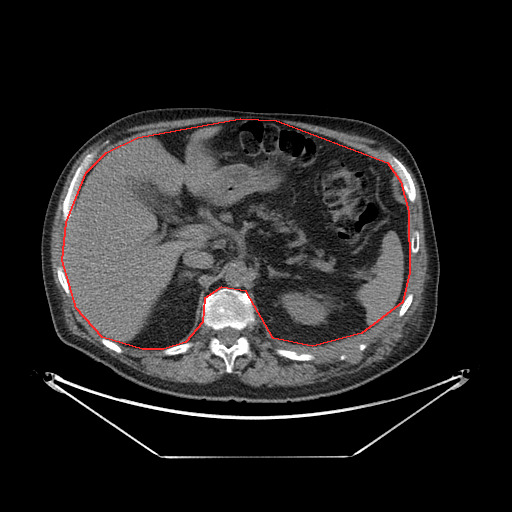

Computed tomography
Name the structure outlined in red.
red: abdominal cavity.
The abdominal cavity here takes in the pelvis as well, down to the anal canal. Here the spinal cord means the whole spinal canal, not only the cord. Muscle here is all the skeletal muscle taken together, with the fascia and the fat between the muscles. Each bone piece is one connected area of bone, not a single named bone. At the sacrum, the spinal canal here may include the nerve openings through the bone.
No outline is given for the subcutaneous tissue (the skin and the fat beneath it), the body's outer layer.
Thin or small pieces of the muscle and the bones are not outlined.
The abdominal cavity is outlined by (240, 118) (276, 120) (387, 162) (400, 181) (408, 211) (409, 272) (402, 302) (361, 333) (312, 346) (273, 338) (246, 291) (221, 287) (204, 298) (202, 322) (185, 342) (163, 349) (142, 349) (102, 337) (76, 308) (62, 260) (66, 222) (86, 172) (106, 152) (137, 137). The muscle is outlined by (215, 116) (280, 118) (357, 134) (383, 144) (409, 167) (421, 196) (427, 277) (421, 311) (415, 314) (409, 330) (385, 358) (352, 373) (300, 386) (252, 386) (232, 374) (238, 356) (251, 358) (253, 355) (245, 332) (255, 321) (255, 310) (273, 339) (316, 347) (361, 334) (377, 326) (400, 305) (397, 315) (402, 317) (414, 297) (411, 292) (405, 295) (410, 272) (410, 254) (419, 251) (420, 233) (415, 229) (410, 238) (408, 235) (409, 211) (405, 195) (413, 203) (416, 188) (405, 165) (389, 151) (385, 153) (385, 161) (333, 137) (264, 117) (202, 122) (140, 135) (112, 147) (93, 163) (96, 154) (94, 151) (89, 152) (75, 169) (61, 205) (61, 218) (65, 222) (65, 228) (61, 241) (62, 266) (56, 267) (57, 279) (65, 294) (71, 297) (79, 315) (101, 337) (100, 342) (118, 354) (123, 352) (122, 346) (161, 350) (165, 356) (174, 356) (187, 352) (198, 343) (190, 338) (202, 323) (212, 332) (204, 356) (207, 359) (211, 355) (220, 357) (227, 373) (209, 383) (161, 379) (129, 366) (69, 330) (53, 278) (50, 242) (59, 197) (74, 163) (94, 143) (122, 130) (153, 122) with holes at (277, 348) (287, 349) (288, 350) (293, 350) (298, 353) (310, 353) (314, 356) (314, 358) (311, 360) (303, 360) (302, 361) (299, 361) (298, 360) (293, 360) (292, 359) (290, 359) (289, 358) (287, 358) (286, 357) (284, 357) (277, 354) (275, 352) (275, 349) and at (361, 343) (362, 343) (363, 343) (364, 343) (365, 343) (366, 344) (367, 345) (366, 346) (366, 347) (365, 348) (364, 349) (363, 350) (362, 350) (361, 350) (360, 350) (359, 350) (359, 349) (358, 348) (358, 347) (358, 346) (359, 345) (359, 344) (360, 344). The bones appear in 9 outlined pieces: piece 1: (221, 288) (246, 292) (251, 298) (255, 317) (244, 332) (249, 341) (252, 355) (251, 357) (245, 354) (238, 355) (234, 360) (231, 373) (226, 372) (225, 363) (220, 356) (214, 354) (207, 358) (205, 356) (209, 350) (208, 344) (213, 332) (202, 321) (202, 304) (209, 294), around a hole outlined by (226, 327) (230, 327) (231, 328) (236, 329) (238, 331) (239, 331) (239, 333) (240, 334) (239, 335) (238, 338) (236, 340) (235, 343) (234, 343) (229, 346) (222, 343) (220, 341) (220, 340) (217, 336) (217, 332) (219, 330) (220, 330) (221, 329) (223, 329); piece 2: (92, 152) (94, 152) (95, 154) (94, 157) (91, 162) (91, 164) (89, 166) (89, 168) (85, 172) (85, 174) (81, 180) (73, 204) (73, 207) (71, 210) (69, 219) (67, 221) (64, 221) (62, 218) (62, 205) (72, 177) (76, 169) (81, 163) (85, 156) (87, 154); piece 3: (387, 152) (389, 152) (392, 155) (395, 156) (404, 165) (407, 171) (409, 173) (413, 181) (414, 187) (415, 188) (415, 199) (413, 202) (411, 202) (408, 199) (406, 194) (404, 192) (400, 179) (398, 177) (396, 172) (388, 163) (387, 161) (387, 157) (386, 156) (386, 153); piece 4: (277, 348) (287, 349) (288, 350) (293, 350) (298, 353) (310, 353) (314, 356) (314, 358) (311, 360) (303, 360) (302, 361) (299, 361) (298, 360) (293, 360) (292, 359) (290, 359) (289, 358) (287, 358) (286, 357) (284, 357) (277, 354) (275, 352) (275, 349); piece 5: (188, 341) (191, 341) (194, 343) (196, 343) (197, 342) (197, 343) (193, 346) (192, 346) (187, 351) (183, 353) (175, 354) (174, 355) (165, 355) (162, 353) (162, 350) (166, 348) (168, 348) (169, 347) (171, 347) (172, 346) (174, 346) (178, 344) (182, 344); piece 6: (58, 266) (61, 266) (63, 269) (63, 272) (65, 275) (65, 277) (67, 281) (67, 284) (68, 285) (68, 288) (69, 289) (69, 293) (70, 294) (69, 296) (67, 295) (64, 291) (58, 279) (58, 276) (57, 275) (57, 267); piece 7: (415, 230) (417, 230) (418, 231) (418, 232) (419, 233) (419, 248) (418, 249) (418, 251) (416, 253) (411, 253) (411, 252) (410, 251) (410, 239) (411, 238) (411, 237) (412, 236) (412, 234) (413, 233) (413, 232); piece 8: (410, 293) (411, 293) (413, 295) (413, 297) (412, 298) (412, 300) (411, 301) (411, 303) (410, 304) (409, 307) (405, 312) (405, 313) (402, 316) (399, 316) (398, 315) (398, 313) (399, 312) (399, 310) (400, 309) (400, 307) (401, 306) (403, 301) (405, 299) (405, 298); piece 9: (101, 338) (105, 338) (108, 340) (110, 340) (111, 341) (112, 341) (113, 342) (116, 343) (122, 349) (122, 352) (121, 353) (118, 353) (117, 352) (116, 352) (115, 351) (114, 351) (113, 350) (110, 349) (108, 347) (107, 347) (105, 345) (104, 345) (101, 342). The spinal cord is outlined by (226, 327) (230, 327) (231, 328) (236, 329) (238, 331) (239, 331) (239, 333) (240, 334) (239, 335) (238, 338) (236, 340) (235, 343) (234, 343) (229, 346) (222, 343) (220, 341) (220, 340) (217, 336) (217, 332) (219, 330) (220, 330) (221, 329) (223, 329). The torso is outlined by (164, 107) (215, 107) (348, 117) (372, 123) (404, 143) (413, 155) (426, 187) (440, 263) (436, 319) (423, 347) (390, 371) (341, 393) (300, 401) (238, 402) (158, 392) (124, 378) (66, 345) (54, 330) (41, 272) (41, 231) (51, 191) (70, 157) (95, 133) (128, 114).